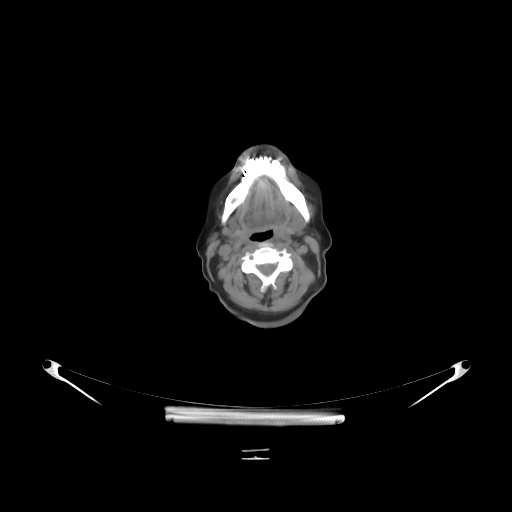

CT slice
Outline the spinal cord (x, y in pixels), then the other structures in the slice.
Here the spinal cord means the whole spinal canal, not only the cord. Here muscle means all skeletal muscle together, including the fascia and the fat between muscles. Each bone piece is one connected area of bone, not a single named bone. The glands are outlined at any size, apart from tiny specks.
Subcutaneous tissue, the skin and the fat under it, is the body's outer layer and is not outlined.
The spinal cord is outlined by 262 264; 276 264; 276 267; 274 269; 274 270; 271 273; 270 273; 269 274; 268 274; 267 275; 266 275; 265 274; 264 274; 263 273; 262 273; 258 269; 258 268; 257 267; 257 266; 258 265; 261 265. The muscle is outlined by 268 150; 272 150; 281 154; 285 158; 286 161; 301 176; 303 181; 311 188; 311 193; 315 198; 314 203; 316 206; 315 226; 321 236; 320 241; 320 270; 321 272; 319 278; 316 283; 309 289; 301 303; 287 311; 276 313; 249 310; 242 308; 229 300; 222 289; 210 278; 206 267; 206 256; 205 255; 206 240; 215 222; 215 210; 216 209; 215 202; 231 175; 234 167; 242 157; 250 153, around holes outlined by 248 157; 271 157; 279 160; 285 169; 287 178; 295 185; 305 198; 310 216; 308 222; 304 220; 294 205; 284 197; 278 185; 268 176; 261 175; 253 181; 244 200; 229 215; 225 224; 221 223; 225 198; 243 175; 241 170; 245 160 and by 270 229; 272 229; 272 236; 265 240; 274 248; 279 250; 285 248; 290 253; 293 264; 289 271; 282 271; 278 274; 274 282; 275 288; 269 285; 262 291; 261 280; 253 273; 242 271; 241 257; 260 245; 259 241; 250 239; 251 235 and by 292 218; 296 218; 298 220; 298 222; 299 223; 299 229; 297 231; 294 231; 292 229; 292 228; 291 227; 291 219 and by 232 221; 234 221; 235 222; 236 222; 238 224; 238 226; 237 227; 237 229; 235 231; 234 231; 233 232; 230 229; 230 228; 229 227; 229 226; 230 225; 230 223. The head and neck is outlined by 259 143; 270 143; 280 148; 295 166; 305 170; 319 182; 323 191; 323 217; 332 237; 332 244; 326 252; 327 281; 324 288; 293 323; 276 331; 260 331; 228 313; 209 291; 195 249; 198 233; 205 220; 209 189; 234 165; 243 150, around a hole outlined by 270 229; 272 229; 272 236; 269 239; 266 239; 265 240; 263 240; 262 241; 256 241; 255 240; 251 240; 250 239; 250 237; 251 236; 251 235; 252 235; 254 233; 255 233; 256 232; 261 232; 262 231; 265 231; 266 230; 269 230. The bones appear in 2 outlined pieces: piece 1: 248 157; 271 157; 279 160; 285 169; 287 178; 295 185; 305 198; 310 216; 308 222; 304 220; 294 205; 284 197; 278 185; 268 176; 261 175; 253 181; 244 200; 229 215; 225 224; 221 223; 225 198; 243 175; 241 170; 245 160; piece 2: 263 241; 271 243; 274 248; 279 250; 285 248; 290 253; 293 263; 289 271; 282 271; 278 274; 274 282; 275 288; 269 285; 264 291; 260 289; 262 283; 256 275; 245 273; 241 269; 241 257; 246 252; 252 252; 258 248; 259 243 with a hole at 262 264; 276 264; 276 267; 274 269; 274 270; 271 273; 270 273; 269 274; 268 274; 267 275; 266 275; 265 274; 264 274; 263 273; 262 273; 258 269; 258 268; 257 267; 257 266; 258 265; 261 265. The submandibular glands appear in 2 outlined pieces: piece 1: 292 218; 296 218; 298 220; 298 222; 299 223; 299 229; 297 231; 294 231; 292 229; 292 228; 291 227; 291 219; piece 2: 232 221; 234 221; 235 222; 236 222; 238 224; 238 226; 237 227; 237 229; 235 231; 234 231; 233 232; 230 229; 230 228; 229 227; 229 226; 230 225; 230 223.